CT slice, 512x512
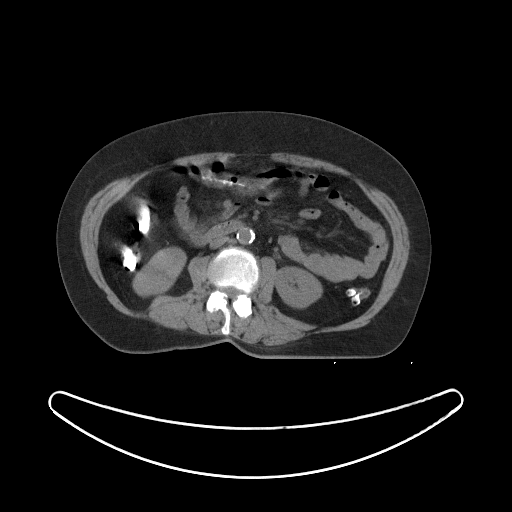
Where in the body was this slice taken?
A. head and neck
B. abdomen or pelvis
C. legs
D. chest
B. abdomen or pelvis
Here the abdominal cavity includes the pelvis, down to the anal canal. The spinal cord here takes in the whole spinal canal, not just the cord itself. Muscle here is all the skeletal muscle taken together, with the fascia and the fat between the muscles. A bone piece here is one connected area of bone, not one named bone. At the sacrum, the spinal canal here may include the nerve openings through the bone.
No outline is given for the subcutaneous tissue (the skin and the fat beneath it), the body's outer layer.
Outlined structures:
abdominal cavity: (239, 156) (267, 156) (345, 176) (381, 213) (392, 238) (391, 255) (375, 297) (361, 313) (319, 325) (282, 312) (272, 303) (274, 258) (236, 245) (212, 257) (192, 257) (191, 287) (180, 295) (158, 295) (144, 309) (128, 307) (112, 289) (98, 255) (110, 207) (166, 166)
torso: (240, 110) (295, 112) (345, 126) (386, 149) (414, 180) (428, 217) (431, 263) (411, 328) (392, 352) (377, 358) (260, 359) (229, 342) (221, 342) (192, 349) (126, 353) (104, 343) (76, 313) (61, 279) (55, 237) (63, 199) (84, 163) (105, 144) (136, 129) (194, 114)
bones: (229, 246) (250, 251) (256, 258) (259, 276) (253, 291) (249, 295) (252, 300) (251, 314) (242, 318) (232, 311) (230, 313) (230, 332) (224, 335) (221, 332) (225, 321) (223, 312) (220, 309) (212, 312) (208, 311) (206, 301) (215, 288) (208, 276) (210, 261) (221, 249), around a hole outlined by (229, 286) (231, 286) (232, 287) (234, 287) (236, 289) (239, 290) (241, 292) (240, 293) (239, 293) (235, 297) (235, 298) (233, 298) (232, 299) (230, 299) (228, 297) (228, 295) (225, 292) (224, 292) (221, 290) (221, 289) (222, 288) (223, 288) (224, 287) (228, 287)
muscle: (214, 151) (286, 152) (317, 158) (346, 169) (393, 200) (408, 229) (408, 260) (393, 295) (366, 325) (310, 334) (271, 346) (249, 344) (228, 335) (232, 312) (242, 319) (252, 314) (250, 295) (260, 276) (257, 257) (269, 256) (275, 261) (273, 305) (303, 322) (331, 326) (355, 318) (372, 303) (392, 255) (393, 238) (388, 222) (352, 179) (321, 167) (276, 161) (267, 155) (166, 165) (142, 177) (112, 204) (99, 227) (97, 255) (102, 274) (119, 299) (132, 310) (144, 310) (158, 296) (186, 293) (193, 285) (188, 271) (191, 259) (211, 256) (207, 276) (214, 288) (205, 301) (205, 309) (210, 313) (222, 312) (223, 335) (166, 328) (128, 316) (107, 300) (85, 265) (80, 245) (80, 223) (89, 199) (117, 178) (178, 157)
spinal cord: (229, 286) (231, 286) (232, 287) (234, 287) (236, 289) (239, 290) (241, 292) (240, 293) (239, 293) (235, 297) (235, 298) (233, 298) (232, 299) (230, 299) (228, 297) (228, 295) (225, 292) (224, 292) (221, 290) (221, 289) (222, 288) (223, 288) (224, 287) (228, 287)